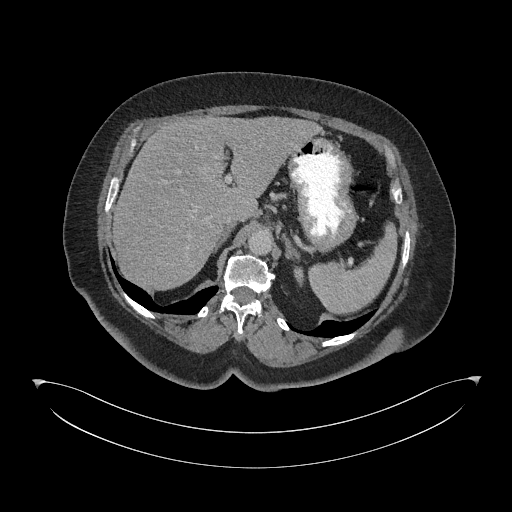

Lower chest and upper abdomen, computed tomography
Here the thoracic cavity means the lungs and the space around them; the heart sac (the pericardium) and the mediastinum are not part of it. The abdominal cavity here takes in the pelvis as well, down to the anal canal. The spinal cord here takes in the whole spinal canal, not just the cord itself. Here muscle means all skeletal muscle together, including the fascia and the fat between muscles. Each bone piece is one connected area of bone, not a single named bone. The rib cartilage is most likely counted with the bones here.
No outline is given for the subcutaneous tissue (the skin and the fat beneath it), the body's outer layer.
Outlined structures:
bones 1: (241, 254) (251, 254) (265, 261) (275, 277) (271, 286) (259, 297) (263, 317) (259, 318) (256, 315) (248, 314) (242, 326) (242, 336) (237, 339) (234, 337) (237, 330) (235, 314) (226, 309) (220, 313) (218, 309) (220, 300) (225, 293) (223, 274) (227, 260) (232, 255), around a hole outlined by (241, 286) (245, 286) (246, 287) (248, 287) (250, 289) (251, 289) (255, 293) (255, 297) (251, 301) (250, 301) (247, 303) (245, 303) (244, 304) (240, 304) (238, 302) (237, 302) (235, 300) (235, 297) (232, 293) (232, 291) (235, 288) (237, 288) (238, 287) (240, 287)
bones 2: (115, 175) (117, 176) (121, 180) (121, 181) (120, 182) (119, 189) (117, 192) (115, 199) (113, 201) (111, 205) (111, 207) (109, 210) (109, 215) (108, 215) (104, 210) (105, 200) (106, 199) (106, 196) (108, 192) (108, 188) (109, 187) (110, 180) (111, 178)
bones 3: (121, 289) (122, 289) (132, 299) (133, 299) (135, 301) (136, 301) (138, 303) (142, 305) (148, 310) (153, 312) (156, 316) (156, 318) (154, 319) (152, 318) (147, 318) (143, 316) (138, 312) (137, 312) (126, 301) (126, 300) (124, 298) (124, 297) (121, 293)
bones 4: (357, 329) (358, 330) (357, 333) (351, 339) (348, 340) (346, 342) (341, 343) (338, 345) (333, 345) (332, 346) (326, 346) (325, 347) (323, 347) (321, 345) (321, 342) (326, 339) (329, 339) (330, 338) (332, 338) (336, 336) (339, 336) (340, 335) (347, 334)
bones 5: (407, 229) (409, 231) (409, 236) (410, 237) (410, 241) (409, 242) (409, 257) (408, 258) (406, 266) (402, 270) (401, 270) (399, 269) (399, 268) (400, 267) (400, 262) (401, 261) (401, 255) (402, 254) (402, 247) (403, 246) (403, 239) (404, 238) (404, 232) (405, 230)
bones 6: (396, 178) (397, 178) (399, 181) (399, 184) (401, 187) (401, 191) (402, 192) (402, 203) (401, 204) (399, 204) (398, 205) (397, 205) (395, 203) (395, 202) (394, 201) (394, 199) (393, 198) (393, 196) (392, 195) (392, 193) (391, 192) (391, 188) (392, 187) (393, 182)
bones 7: (137, 126) (139, 126) (140, 128) (135, 135) (136, 137) (136, 140) (137, 141) (136, 142) (136, 145) (135, 146) (135, 149) (133, 152) (133, 154) (131, 157) (130, 157) (127, 153) (128, 151) (128, 147) (129, 146) (129, 139) (133, 134) (133, 130) (134, 128)
bones 8: (384, 144) (385, 144) (386, 145) (387, 145) (389, 147) (389, 148) (392, 151) (392, 152) (393, 153) (393, 155) (394, 156) (394, 159) (395, 160) (395, 161) (394, 162) (394, 165) (393, 165) (392, 164) (391, 164) (390, 163) (389, 163) (386, 160) (386, 159) (384, 156)
bones 9: (278, 316) (280, 316) (281, 317) (283, 317) (285, 319) (285, 320) (287, 322) (287, 323) (288, 324) (288, 325) (289, 326) (289, 327) (291, 329) (290, 330) (289, 330) (288, 331) (287, 330) (284, 330) (282, 328) (281, 328) (278, 325) (278, 324) (276, 321) (276, 318)
bones 10: (207, 303) (207, 304) (208, 305) (208, 313) (207, 314) (207, 315) (206, 316) (204, 316) (203, 317) (198, 317) (197, 316) (196, 316) (196, 314) (198, 312) (198, 311) (203, 306) (204, 306)
abdominal cavity: (265, 109) (359, 137) (383, 155) (402, 246) (397, 273) (376, 310) (347, 321) (325, 320) (309, 330) (288, 323) (270, 294) (276, 277) (271, 270) (271, 232) (258, 227) (226, 253) (218, 285) (185, 300) (160, 305) (118, 272) (109, 249) (110, 210) (136, 148) (164, 124)
spinal cord: (241, 286) (245, 286) (246, 287) (248, 287) (250, 289) (251, 289) (255, 293) (255, 297) (251, 301) (250, 301) (247, 303) (245, 303) (244, 304) (240, 304) (238, 302) (237, 302) (235, 300) (235, 297) (232, 293) (232, 291) (235, 288) (237, 288) (238, 287) (240, 287)
muscle: (236, 104) (281, 105) (282, 106) (289, 106) (290, 107) (312, 110) (345, 119) (379, 133) (388, 138) (397, 147) (401, 155) (402, 160) (407, 168) (410, 176) (410, 180) (413, 186) (414, 197) (416, 202) (416, 210) (418, 217) (417, 220) (419, 225) (413, 257) (413, 265) (411, 270) (409, 283) (407, 287) (407, 293) (404, 299) (388, 317) (383, 320) (365, 336) (358, 339) (355, 342) (353, 342) (336, 351) (329, 353) (318, 359) (289, 368) (271, 368) (267, 367) (260, 363) (243, 345) (240, 345) (231, 341) (225, 343) (215, 351) (206, 354) (198, 354) (190, 352) (180, 347) (175, 343) (168, 340) (165, 337) (156, 333) (145, 324) (135, 318) (121, 306) (114, 297) (112, 296) (107, 286) (99, 261) (99, 252) (98, 251) (97, 236) (96, 235) (96, 230) (97, 229) (97, 222) (96, 221) (97, 210) (96, 209) (97, 208) (98, 197) (101, 190) (103, 179) (109, 165) (109, 161) (111, 158) (113, 148) (115, 146) (119, 136) (128, 124) (136, 119) (139, 119) (143, 117) (149, 117) (150, 116) (154, 117) (155, 116) (169, 115) (196, 108) (210, 107) (216, 105) (235, 105) with a hole at (265, 109) (289, 112) (359, 137) (382, 155) (385, 144) (394, 156) (394, 165) (386, 160) (385, 168) (391, 184) (397, 178) (401, 187) (402, 203) (396, 206) (396, 211) (402, 238) (405, 230) (409, 231) (409, 257) (406, 266) (397, 271) (371, 317) (357, 328) (351, 339) (338, 345) (323, 347) (324, 337) (281, 328) (276, 318) (284, 316) (269, 288) (259, 297) (263, 317) (248, 314) (241, 338) (235, 338) (235, 314) (226, 309) (221, 313) (218, 311) (225, 293) (222, 278) (216, 293) (207, 302) (206, 316) (155, 312) (156, 318) (147, 318) (126, 301) (112, 268) (108, 236) (110, 216) (104, 206) (111, 178) (115, 175) (122, 180) (124, 177) (131, 158) (127, 152) (134, 128) (140, 127) (135, 135) (136, 148) (164, 124)
mediastinum: (255, 228) (258, 228) (259, 229) (265, 230) (266, 231) (269, 231) (270, 232) (270, 235) (273, 242) (273, 251) (274, 252) (274, 263) (270, 270) (269, 266) (265, 260) (251, 253) (232, 254) (227, 257) (227, 253) (238, 244) (238, 243) (242, 239) (243, 236) (247, 232)
torso: (220, 71) (271, 72) (349, 85) (391, 104) (416, 127) (444, 184) (456, 226) (451, 298) (427, 336) (404, 351) (318, 385) (265, 392) (231, 375) (215, 388) (196, 389) (144, 366) (96, 319) (71, 283) (62, 241) (66, 197) (80, 158) (104, 120) (133, 94) (165, 80)
thoracic cavity 1: (110, 256) (114, 262) (119, 275) (128, 282) (130, 282) (143, 290) (156, 304) (160, 306) (167, 306) (178, 302) (185, 301) (191, 298) (200, 290) (210, 286) (218, 286) (218, 289) (216, 293) (195, 314) (170, 314) (169, 313) (154, 312) (132, 298) (123, 289) (113, 271)
thoracic cavity 2: (372, 311) (375, 311) (375, 312) (371, 317) (356, 329) (350, 332) (336, 335) (329, 338) (307, 335) (301, 332) (293, 330) (289, 325) (290, 324) (294, 328) (300, 331) (309, 331) (317, 328) (325, 321) (347, 322) (351, 320) (355, 320) (357, 318) (359, 318)